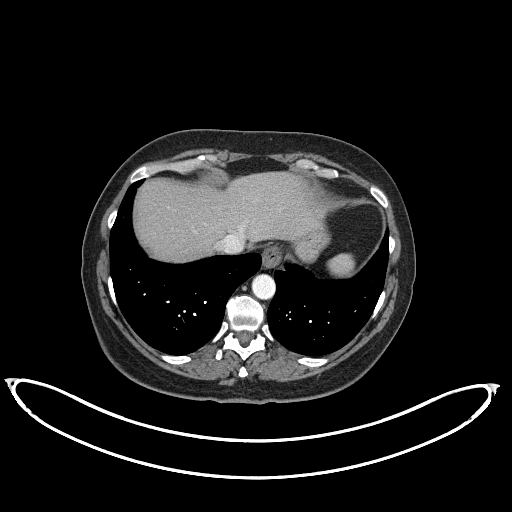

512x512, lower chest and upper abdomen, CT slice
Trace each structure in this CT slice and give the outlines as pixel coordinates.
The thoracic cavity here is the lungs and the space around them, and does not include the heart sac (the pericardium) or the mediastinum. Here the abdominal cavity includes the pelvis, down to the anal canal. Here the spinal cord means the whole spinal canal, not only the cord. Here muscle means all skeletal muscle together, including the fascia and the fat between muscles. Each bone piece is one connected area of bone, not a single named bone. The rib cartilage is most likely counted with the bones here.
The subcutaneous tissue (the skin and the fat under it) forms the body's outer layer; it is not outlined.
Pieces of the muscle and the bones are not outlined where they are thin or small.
The abdominal cavity is outlined by [[331,279],[355,275],[382,240],[387,227],[385,216],[367,192],[354,192],[333,182],[335,179],[266,158],[204,166],[186,174],[158,172],[144,179],[136,190],[132,226],[138,243],[152,259],[185,263],[281,245],[286,250],[283,265],[294,263],[316,276]]. The torso is outlined by [[254,405],[331,395],[357,382],[377,362],[399,330],[413,294],[416,250],[410,218],[388,171],[371,154],[344,140],[303,131],[192,128],[170,132],[147,142],[128,156],[108,179],[92,208],[82,240],[80,269],[92,327],[112,365],[144,387],[185,399]]. The bones appear in 8 outlined pieces: piece 1: [[243,360],[257,350],[264,350],[264,343],[267,339],[274,340],[265,322],[262,306],[252,297],[244,294],[229,298],[226,304],[226,318],[211,340],[215,342],[222,338],[224,341],[223,345],[216,350],[216,359],[222,357],[222,352],[225,349],[232,349]] with a hole at [[243,346],[245,346],[246,345],[247,345],[248,344],[248,343],[253,338],[253,337],[254,336],[254,334],[253,333],[252,333],[249,331],[247,331],[246,330],[239,331],[236,333],[236,337],[239,340],[239,342],[241,344],[241,345],[242,345]]; piece 2: [[130,183],[133,183],[140,179],[148,177],[158,171],[163,170],[173,170],[181,173],[186,173],[205,165],[204,164],[206,161],[215,162],[218,159],[215,154],[200,154],[193,158],[187,158],[173,162],[154,162],[144,164],[137,167],[132,172],[129,179]]; piece 3: [[327,178],[337,178],[339,176],[338,171],[335,169],[332,169],[327,167],[322,167],[312,160],[310,159],[307,159],[306,158],[300,158],[296,160],[294,163],[295,166],[298,168],[301,168],[302,169],[312,169],[317,175],[322,177],[326,177]]; piece 4: [[384,208],[386,208],[388,205],[388,201],[387,200],[387,197],[386,196],[385,193],[378,186],[377,186],[375,184],[371,184],[370,185],[370,187],[369,188],[369,192],[371,194],[371,195],[380,204],[380,205],[381,205],[382,206],[382,207],[383,207]]; piece 5: [[307,366],[319,366],[320,365],[322,365],[328,361],[328,358],[325,356],[323,356],[322,357],[308,357],[307,356],[303,356],[302,357],[300,357],[297,359],[297,361],[299,363],[300,363],[301,364],[304,364]]; piece 6: [[173,364],[181,364],[182,363],[184,363],[185,362],[188,362],[191,360],[191,357],[188,355],[180,355],[179,356],[177,356],[176,355],[170,355],[169,354],[166,354],[165,353],[162,353],[160,355],[160,357],[163,360],[164,360],[169,363],[172,363]]; piece 7: [[369,319],[372,319],[374,318],[376,316],[377,314],[377,312],[382,306],[383,304],[383,301],[385,297],[385,294],[386,293],[386,291],[384,289],[382,290],[379,296],[379,298],[375,305],[375,307],[373,310],[373,312],[370,316]]; piece 8: [[118,308],[119,308],[118,307],[118,305],[117,304],[117,302],[115,298],[115,294],[113,290],[113,285],[112,284],[112,280],[111,279],[110,275],[109,275],[107,277],[107,285],[108,286],[108,290],[109,291],[111,299],[114,305]]. The muscle appears in 2 outlined pieces: piece 1: [[219,385],[233,385],[240,378],[281,382],[319,374],[347,358],[384,327],[394,310],[401,252],[400,233],[388,197],[388,207],[382,208],[396,245],[388,260],[384,304],[377,316],[368,320],[347,344],[326,356],[329,358],[327,363],[319,367],[301,365],[296,361],[301,355],[275,340],[267,340],[264,351],[257,351],[244,361],[232,350],[225,350],[223,357],[216,360],[214,353],[222,345],[221,339],[215,343],[210,341],[189,354],[192,357],[190,362],[173,365],[163,361],[159,357],[161,352],[134,332],[113,305],[107,290],[109,230],[106,219],[115,207],[118,208],[130,184],[129,174],[100,224],[101,249],[96,275],[101,305],[124,336],[148,359],[172,372],[213,380]]; inner edge: [[240,377],[245,377],[247,375],[247,371],[246,370],[246,369],[245,368],[245,367],[243,365],[242,366],[241,366],[240,367],[240,368],[239,369],[239,371],[238,372],[238,374],[239,375],[239,376]]; piece 2: [[368,192],[368,188],[371,183],[375,183],[383,190],[378,184],[335,161],[312,152],[297,151],[290,153],[253,154],[232,152],[225,149],[194,148],[176,153],[166,158],[148,161],[141,164],[154,161],[173,161],[193,157],[200,153],[215,153],[218,156],[219,159],[217,162],[206,162],[206,165],[221,164],[248,157],[266,157],[294,166],[293,163],[296,159],[306,157],[322,166],[337,169],[340,174],[339,178],[349,180]]. The thoracic cavity appears in 2 outlined pieces: piece 1: [[177,355],[195,351],[213,337],[225,318],[228,298],[238,285],[258,270],[261,259],[256,252],[213,256],[185,264],[150,259],[137,243],[131,226],[132,201],[136,188],[143,181],[140,180],[128,188],[110,230],[110,274],[119,307],[135,332],[152,347]]; piece 2: [[308,356],[322,356],[340,348],[347,343],[367,321],[383,288],[388,259],[388,228],[385,231],[378,250],[366,265],[350,279],[331,280],[316,277],[304,268],[288,263],[284,265],[283,270],[275,271],[276,292],[267,310],[266,322],[277,341],[294,352]]. The mediastinum appears in 2 outlined pieces: piece 1: [[265,313],[275,292],[275,282],[273,278],[274,271],[277,269],[283,269],[282,258],[285,253],[285,250],[281,246],[270,246],[266,248],[265,250],[260,250],[259,253],[262,259],[259,270],[253,276],[238,286],[232,295],[244,293],[252,296],[263,306]]; piece 2: [[361,193],[363,193],[364,192],[365,193],[365,190],[360,188],[355,184],[349,181],[347,181],[346,180],[343,180],[342,179],[339,179],[338,178],[335,180],[332,180],[344,187],[347,187],[350,189],[352,189],[354,191],[357,191]]. The spinal cord is outlined by [[243,346],[245,346],[246,345],[247,345],[248,344],[248,343],[253,338],[253,337],[254,336],[254,334],[253,333],[252,333],[249,331],[247,331],[246,330],[239,331],[236,333],[236,337],[239,340],[239,342],[241,344],[241,345],[242,345]].